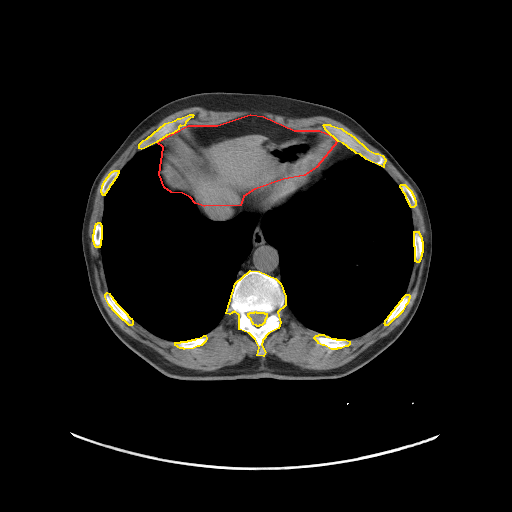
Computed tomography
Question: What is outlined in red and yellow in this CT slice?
Answer: red: abdominal cavity; yellow: bones.
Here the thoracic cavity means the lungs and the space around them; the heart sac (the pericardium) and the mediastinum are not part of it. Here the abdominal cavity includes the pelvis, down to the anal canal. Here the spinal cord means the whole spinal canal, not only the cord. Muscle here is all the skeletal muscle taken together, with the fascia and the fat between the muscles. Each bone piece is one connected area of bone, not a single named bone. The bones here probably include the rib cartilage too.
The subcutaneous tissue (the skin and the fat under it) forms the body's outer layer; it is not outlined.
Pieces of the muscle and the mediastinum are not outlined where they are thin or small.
Outlined structures:
abdominal cavity: 250 114; 263 116; 294 130; 319 130; 331 135; 337 141; 316 167; 304 175; 283 179; 254 189; 243 196; 240 205; 204 206; 195 203; 190 197; 182 193; 171 192; 164 187; 159 174; 163 147; 157 142; 158 141; 188 125; 217 125
bones 1: 250 270; 259 271; 275 278; 280 283; 285 296; 285 305; 277 312; 280 322; 278 328; 268 333; 262 340; 261 345; 265 352; 263 356; 257 355; 259 347; 255 339; 249 333; 239 329; 239 315; 234 311; 229 314; 226 313; 235 283; inner edge: 255 311; 256 312; 263 312; 264 313; 266 313; 266 317; 264 320; 264 322; 261 325; 259 325; 258 326; 257 326; 256 325; 253 324; 253 323; 252 322; 251 319; 248 316; 248 313; 249 313; 250 312; 254 312
bones 2: 324 124; 329 124; 330 125; 341 128; 343 130; 353 136; 367 149; 375 153; 378 153; 382 155; 385 159; 385 161; 383 164; 383 167; 366 159; 360 154; 356 153; 353 150; 352 150; 343 143; 338 141; 326 130; 323 125
bones 3: 189 114; 192 114; 193 115; 192 117; 188 119; 185 122; 184 125; 181 126; 180 125; 178 127; 178 129; 172 133; 166 135; 156 142; 144 148; 141 149; 139 148; 139 144; 143 140; 147 138; 165 123; 175 120; 178 118; 180 118
bones 4: 319 334; 323 334; 326 336; 328 336; 332 338; 335 338; 336 339; 345 339; 349 341; 349 344; 347 346; 345 346; 341 348; 337 348; 336 349; 331 349; 324 345; 322 345; 318 343; 318 342; 314 338; 314 337; 316 335; 318 335
bones 5: 107 292; 109 293; 109 294; 112 297; 112 298; 115 301; 115 302; 127 314; 127 315; 130 318; 131 318; 132 320; 132 324; 131 325; 129 325; 124 320; 123 320; 112 309; 112 308; 109 305; 105 297; 105 294
bones 6: 406 294; 408 294; 409 295; 409 298; 408 299; 408 301; 407 303; 405 305; 402 311; 387 325; 385 325; 384 323; 385 322; 385 320; 388 317; 388 316; 391 313; 391 312; 395 308; 395 307; 399 303; 399 302; 402 299; 402 298
bones 7: 204 335; 205 335; 206 337; 206 339; 205 341; 201 345; 199 346; 197 346; 193 348; 184 349; 183 348; 180 348; 175 345; 175 342; 180 342; 181 341; 187 341; 188 340; 191 340; 192 339; 195 339; 196 338; 201 337
bones 8: 414 231; 418 231; 418 232; 419 233; 419 234; 420 235; 420 236; 421 237; 421 240; 422 241; 422 252; 421 253; 421 256; 420 257; 420 259; 419 260; 419 261; 418 262; 417 262; 416 261; 415 261; 415 247; 414 246
bones 9: 114 170; 118 170; 118 173; 117 174; 116 177; 112 182; 112 183; 109 186; 108 189; 106 191; 106 192; 104 194; 104 195; 103 195; 101 192; 102 185; 103 184; 104 181; 106 179; 106 178; 109 175; 109 174; 112 171; 113 171
bones 10: 98 222; 99 222; 100 223; 100 224; 101 225; 101 239; 100 240; 100 245; 99 246; 99 247; 96 247; 95 246; 95 245; 94 244; 94 242; 93 241; 93 234; 94 233; 94 229; 95 228; 95 225; 96 224; 96 223; 97 223
bones 11: 401 184; 404 184; 411 191; 411 192; 414 197; 414 199; 415 200; 415 205; 413 207; 411 207; 410 206; 410 205; 409 204; 409 203; 406 198; 406 196; 405 195; 405 194; 403 192; 402 189; 400 187; 400 185
pericardium: 317 167; 321 168; 324 171; 323 172; 324 178; 323 179; 321 178; 308 185; 305 188; 298 190; 285 202; 277 206; 274 206; 265 212; 261 212; 253 209; 249 206; 247 202; 246 195; 250 192; 283 180; 293 179; 304 176
spinal cord: 255 311; 256 312; 263 312; 264 313; 266 313; 266 317; 264 320; 264 322; 261 325; 259 325; 258 326; 257 326; 256 325; 253 324; 253 323; 252 322; 251 319; 248 316; 248 313; 249 313; 250 312; 254 312
thoracic cavity 1: 356 154; 382 167; 404 194; 411 209; 414 262; 406 292; 387 317; 362 335; 346 339; 332 337; 306 327; 286 306; 286 296; 281 284; 279 252; 265 239; 259 216; 285 203; 298 191; 321 179; 323 180; 325 178; 324 172; 327 169
thoracic cavity 2: 155 143; 162 147; 158 174; 166 190; 190 198; 199 213; 213 221; 225 221; 244 211; 257 216; 251 248; 237 271; 225 314; 213 329; 187 340; 173 341; 159 337; 132 319; 110 294; 103 269; 100 246; 105 194; 125 164; 138 151
muscle: 196 106; 213 111; 264 110; 293 118; 325 116; 348 127; 391 162; 415 190; 426 229; 425 261; 417 295; 400 324; 336 368; 307 369; 283 361; 274 354; 264 359; 260 357; 266 355; 263 340; 279 328; 278 312; 285 306; 303 326; 318 333; 313 337; 318 344; 331 350; 347 347; 350 339; 362 336; 384 321; 387 326; 409 301; 410 295; 406 293; 414 263; 422 256; 423 241; 413 225; 411 208; 416 205; 415 197; 404 183; 399 185; 384 168; 386 159; 382 154; 329 123; 322 125; 327 132; 299 130; 255 113; 217 124; 188 124; 179 128; 193 117; 189 113; 165 122; 143 139; 138 144; 139 150; 103 181; 100 189; 104 196; 102 216; 94 225; 92 241; 100 250; 108 291; 104 297; 129 326; 133 320; 155 336; 188 350; 201 346; 207 339; 206 334; 226 314; 234 312; 238 315; 238 329; 254 339; 257 356; 210 371; 190 369; 167 360; 124 332; 112 320; 97 291; 89 248; 88 229; 97 187; 107 170; 135 139; 168 115
mediastinum 1: 245 195; 250 208; 264 213; 258 216; 259 225; 264 239; 278 252; 280 282; 275 277; 255 269; 246 271; 236 281; 240 266; 252 248; 253 232; 258 220; 256 214; 244 210; 225 220; 213 220; 201 214; 196 205; 204 207; 240 206
mediastinum 2: 336 142; 339 142; 343 144; 345 146; 349 148; 352 151; 353 151; 355 153; 355 154; 346 159; 341 160; 335 163; 333 165; 330 166; 328 168; 324 170; 321 167; 319 167; 318 166; 326 158; 326 157; 329 154
torso: 217 91; 274 94; 340 110; 356 120; 391 153; 423 194; 431 223; 432 252; 421 301; 399 337; 371 361; 348 375; 318 380; 172 378; 128 348; 110 329; 94 301; 82 250; 81 230; 89 191; 96 175; 132 129; 154 110; 180 97